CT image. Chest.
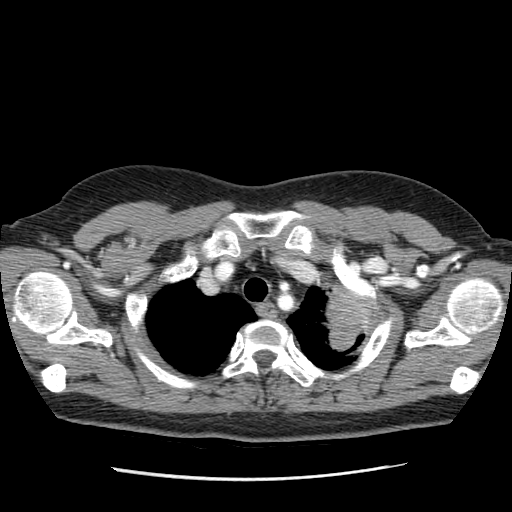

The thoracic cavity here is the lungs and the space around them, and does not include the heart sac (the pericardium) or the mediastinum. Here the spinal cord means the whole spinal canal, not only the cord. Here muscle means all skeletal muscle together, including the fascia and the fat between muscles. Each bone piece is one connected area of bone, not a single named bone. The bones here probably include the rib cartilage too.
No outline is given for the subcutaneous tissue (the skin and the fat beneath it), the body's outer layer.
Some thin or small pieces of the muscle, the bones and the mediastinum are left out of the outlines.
bones 1: 260,319 286,325 302,353 316,366 331,371 343,370 351,364 379,323 393,322 384,346 369,365 344,378 317,378 311,385 303,386 281,370 270,373 267,381 251,372 227,379 220,377 219,368 237,332 242,326; inner edge: 261,350 268,350 272,353 273,353 275,355 275,357 274,358 274,359 270,363 270,364 268,366 266,366 265,367 260,367 257,363 257,362 254,359 254,358 253,357 253,355 256,352 257,352 258,351 260,351
bones 2: 282,209 310,217 317,236 317,256 285,248 287,227 276,237 249,239 238,231 241,249 238,256 225,254 207,259 199,255 192,275 167,284 158,279 165,267 179,261 186,252 197,254 199,242 225,215 234,211
bones 3: 39,270 46,270 54,273 66,282 72,294 73,307 77,313 77,321 88,328 103,328 107,330 112,337 112,344 108,348 90,341 74,345 50,343 42,334 30,330 15,318 12,312 15,289 24,276 30,272
bones 4: 474,277 485,278 499,288 502,294 504,310 498,322 491,328 479,333 467,344 450,346 428,344 407,349 404,345 404,337 406,332 412,329 426,331 434,328 439,323 440,316 446,312 446,302 451,290 458,283
bones 5: 133,347 139,348 145,355 163,369 180,377 186,378 189,380 192,380 193,381 196,381 197,380 200,381 202,384 202,386 199,388 194,388 193,389 177,388 176,387 172,387 164,382 159,381 138,358 133,350
bones 6: 334,251 336,251 337,252 338,256 346,267 358,273 366,281 370,282 370,283 375,288 375,298 371,298 370,297 366,297 365,296 360,295 356,290 352,289 346,285 340,279 336,274 333,268 333,262 335,258
bones 7: 129,292 144,293 148,297 148,303 147,304 147,309 146,310 145,316 144,317 144,321 145,323 144,323 142,325 142,326 135,332 130,322 128,320 128,318 126,314 126,311 125,310 125,299 126,298 126,295
bones 8: 54,363 61,363 63,364 65,366 67,370 67,375 66,376 66,389 65,391 61,393 55,393 54,392 52,392 50,391 42,384 40,380 40,376 39,375 39,372 40,370
bones 9: 461,365 462,366 466,366 474,370 477,370 479,371 481,375 481,377 479,379 477,383 473,387 469,389 466,392 462,394 457,394 450,388 449,384 450,383 450,380 451,379 453,371 456,367 460,366
right arm: 35,212 37,212 55,263 60,274 62,282 67,293 68,299 46,340 26,368 12,335 12,328 10,326 6,309 6,304 4,301 2,276 0,273 0,239 2,235 1,229 4,223 12,222 20,217 26,216
spinal cord: 261,350 268,350 272,353 273,353 275,355 275,357 274,358 274,359 270,363 270,364 268,366 266,366 265,367 260,367 257,363 257,362 254,359 254,358 253,357 253,355 256,352 257,352 258,351 260,351
left arm: 490,236 504,237 511,240 511,282 508,285 508,297 505,304 505,313 503,316 503,320 501,323 501,326 497,336 497,339 495,342 495,345 491,353 491,356 482,374 457,333 455,329 455,326 450,317 448,307
torso: 127,164 188,168 246,185 333,170 380,170 414,178 447,194 490,235 447,307 456,333 481,374 472,393 453,419 441,427 355,439 249,442 217,437 176,438 58,418 26,369 69,299 38,211 57,202 78,181
thoracic cavity 1: 191,276 193,276 197,287 208,296 224,292 238,295 252,308 257,317 256,320 248,322 239,328 221,365 215,371 199,376 178,371 160,356 154,347 151,337 147,333 145,321 149,300 156,291 165,285 177,283
thoracic cavity 2: 332,274 335,274 346,286 356,291 360,296 377,300 380,307 380,317 370,333 367,341 355,359 348,365 333,370 318,366 311,361 300,349 295,341 294,333 286,324 286,320 301,307 307,290 321,278 327,278
mediastinum: 259,237 273,238 285,249 317,257 331,266 335,273 321,277 306,290 300,307 285,320 285,324 268,318 258,319 253,308 234,292 208,295 198,287 194,279 193,275 201,264 225,255 238,257 242,251 240,242
muscle: 151,199 170,203 174,209 219,200 232,200 248,208 284,206 308,199 334,206 371,204 419,215 443,235 468,246 470,256 511,264 505,313 483,373 461,364 452,371 448,384 456,394 360,413 162,414 125,409 81,393 55,394 66,391 68,370 63,363 54,362 39,370 38,380 25,367 4,301 0,249 21,245 53,251 69,243 83,222 105,208 with holes at 282,209 310,217 320,259 332,267 336,251 375,288 377,323 393,322 379,354 344,378 309,386 281,370 267,381 172,367 145,323 133,329 126,295 149,300 165,285 162,270 197,254 225,215 and at 39,270 46,270 54,273 66,282 72,294 73,307 77,313 77,321 88,328 103,328 107,330 112,337 112,344 108,348 90,341 74,345 50,343 42,334 30,330 15,318 12,312 15,289 24,276 30,272 and at 474,277 485,278 499,288 502,294 504,310 498,322 491,328 479,333 467,344 450,346 428,344 407,349 404,345 404,337 406,332 412,329 426,331 434,328 439,323 440,316 446,312 446,302 451,290 458,283 and at 133,347 139,348 145,355 163,369 180,377 186,378 189,380 192,380 193,381 196,381 197,380 200,381 202,384 202,386 199,388 194,388 193,389 177,388 176,387 172,387 164,382 159,381 138,358 133,350